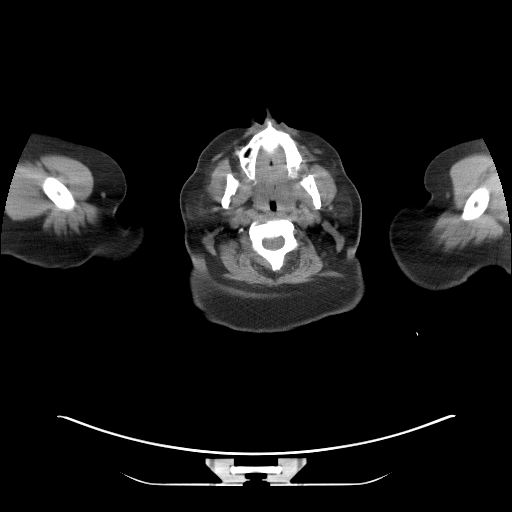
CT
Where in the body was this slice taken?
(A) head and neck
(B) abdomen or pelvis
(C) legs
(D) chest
(A) head and neck
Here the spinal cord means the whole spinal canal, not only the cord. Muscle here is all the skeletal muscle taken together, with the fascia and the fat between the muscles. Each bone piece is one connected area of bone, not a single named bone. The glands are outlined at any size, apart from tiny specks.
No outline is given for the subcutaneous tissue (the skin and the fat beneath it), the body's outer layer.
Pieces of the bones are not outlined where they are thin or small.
{"spinal_cord":[[[279,236],[281,236],[284,240],[284,242],[283,244],[279,248],[277,248],[276,249],[268,249],[264,247],[264,246],[262,244],[262,241],[263,239],[265,239],[266,238],[267,239],[271,239],[272,238],[275,238]]],"left_arm":[[[477,137],[482,138],[492,155],[504,191],[509,217],[511,271],[507,274],[497,267],[488,267],[451,289],[439,292],[422,289],[401,273],[392,257],[388,245],[390,221],[405,204],[411,202],[419,207],[429,199],[423,177],[427,165],[438,153]]],"parotid_glands":[[[193,189],[202,189],[208,195],[208,196],[214,202],[214,203],[216,205],[217,211],[221,219],[221,223],[216,228],[215,228],[213,230],[211,230],[204,235],[201,235],[196,231],[193,222],[190,219],[189,215],[185,210],[185,199],[188,195],[188,194]],[[340,188],[342,188],[344,190],[347,191],[347,193],[351,200],[351,206],[352,207],[352,211],[351,212],[352,224],[349,228],[347,228],[345,230],[341,230],[337,227],[329,220],[324,214],[324,210],[332,202],[334,198],[334,195],[337,193],[338,190]]],"head_and_neck":[[[265,104],[271,105],[270,114],[276,120],[319,134],[338,152],[361,199],[361,233],[356,254],[368,289],[350,311],[288,331],[253,333],[209,322],[192,304],[187,286],[191,263],[179,195],[205,146],[226,129],[247,127],[253,119],[261,123],[266,116]]],"bones":[[[268,121],[275,128],[288,133],[296,143],[302,160],[297,171],[297,176],[294,178],[288,175],[285,167],[286,162],[283,148],[278,143],[262,144],[259,147],[259,153],[256,159],[255,182],[248,179],[240,167],[235,151],[245,145],[255,133],[263,129]],{"outer":[[273,218],[285,218],[289,219],[293,223],[295,228],[294,236],[298,244],[296,248],[287,252],[284,255],[282,266],[279,269],[274,271],[272,270],[270,263],[252,248],[252,244],[248,233],[248,228],[254,220],[256,220],[260,223],[263,223],[267,220]],"hole":[[279,236],[281,236],[284,240],[284,242],[283,244],[279,248],[277,248],[276,249],[268,249],[264,247],[264,246],[262,244],[262,241],[263,239],[265,239],[266,238],[267,239],[271,239],[272,238],[275,238]]},[[47,176],[53,176],[54,177],[58,178],[58,179],[68,188],[68,189],[71,192],[76,202],[76,204],[73,208],[73,209],[71,210],[62,210],[61,209],[58,209],[56,207],[54,203],[45,194],[45,193],[42,189],[42,186],[41,185],[44,179]],[[479,186],[485,189],[487,193],[490,196],[490,199],[488,202],[488,205],[483,212],[483,213],[476,219],[474,219],[473,220],[462,220],[460,218],[460,216],[462,212],[462,209],[463,208],[463,206],[467,198],[469,196],[469,195],[476,188],[477,188]],[[308,174],[312,174],[313,175],[313,177],[314,178],[314,180],[315,181],[317,189],[320,195],[320,199],[321,200],[321,206],[319,209],[316,209],[315,208],[313,204],[313,201],[312,200],[311,196],[299,183],[299,181],[302,178],[302,177]],[[228,172],[230,172],[232,174],[232,175],[239,181],[239,185],[237,187],[236,191],[230,197],[230,201],[229,202],[229,205],[228,206],[228,208],[226,209],[222,207],[221,205],[221,199],[224,193],[224,190],[225,189],[225,186],[226,185],[226,173]]],"muscle":[{"outer":[[273,124],[296,132],[306,142],[324,150],[333,160],[339,188],[323,210],[323,214],[343,232],[344,246],[338,261],[347,274],[346,279],[303,287],[263,289],[240,287],[225,283],[203,254],[202,236],[222,223],[217,205],[202,188],[204,171],[211,157],[224,144],[253,128],[265,126],[234,151],[240,169],[248,180],[255,183],[260,147],[278,144],[282,148],[287,175],[292,179],[298,176],[303,158],[297,143],[288,132]],"holes":[[[273,218],[285,218],[289,219],[293,223],[295,228],[294,236],[298,244],[296,248],[287,252],[284,255],[282,266],[279,269],[274,271],[272,270],[270,263],[252,248],[252,244],[248,233],[248,228],[254,220],[256,220],[260,223],[263,223],[267,220]],[[308,174],[312,174],[313,175],[313,177],[314,178],[314,180],[315,181],[317,189],[320,195],[320,199],[321,200],[321,206],[319,209],[316,209],[315,208],[313,204],[313,201],[312,200],[311,196],[299,183],[299,181],[302,178],[302,177]],[[228,172],[230,172],[232,174],[232,175],[239,181],[239,185],[237,187],[236,191],[230,197],[230,201],[229,202],[229,205],[228,206],[228,208],[226,209],[222,207],[221,205],[221,199],[224,193],[224,190],[225,189],[225,186],[226,185],[226,173]]]},{"outer":[[47,153],[61,154],[77,159],[86,165],[92,173],[94,185],[91,199],[100,208],[101,211],[98,221],[90,229],[81,234],[72,237],[58,237],[53,233],[33,227],[23,220],[12,220],[5,210],[17,164],[20,161],[37,158],[40,155]],"hole":[[47,176],[53,176],[54,177],[58,178],[58,179],[68,188],[68,189],[71,192],[76,202],[76,204],[73,208],[73,209],[71,210],[62,210],[61,209],[58,209],[56,207],[54,203],[45,194],[45,193],[42,189],[42,186],[41,185],[44,179]]},{"outer":[[480,150],[492,155],[495,171],[500,178],[501,186],[506,199],[506,208],[509,217],[509,231],[504,236],[496,240],[471,248],[450,249],[437,247],[431,240],[432,226],[439,214],[446,209],[454,199],[454,191],[451,187],[449,169],[456,160],[467,154]],"hole":[[479,186],[485,189],[487,193],[490,196],[490,199],[488,202],[488,205],[483,212],[483,213],[476,219],[474,219],[473,220],[462,220],[460,218],[460,216],[462,212],[462,209],[463,208],[463,206],[467,198],[469,196],[469,195],[476,188],[477,188]]}],"right_arm":[[[34,131],[97,148],[110,155],[120,165],[126,178],[127,189],[116,213],[126,223],[129,223],[136,217],[140,217],[147,231],[146,239],[142,247],[130,259],[111,266],[93,258],[75,268],[59,270],[40,268],[1,253],[3,217],[10,186],[20,156]]]}